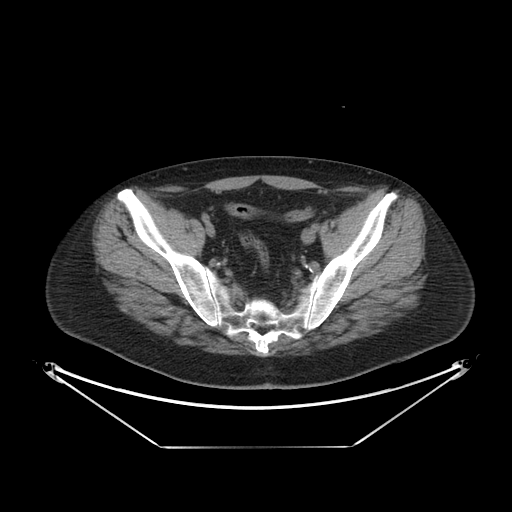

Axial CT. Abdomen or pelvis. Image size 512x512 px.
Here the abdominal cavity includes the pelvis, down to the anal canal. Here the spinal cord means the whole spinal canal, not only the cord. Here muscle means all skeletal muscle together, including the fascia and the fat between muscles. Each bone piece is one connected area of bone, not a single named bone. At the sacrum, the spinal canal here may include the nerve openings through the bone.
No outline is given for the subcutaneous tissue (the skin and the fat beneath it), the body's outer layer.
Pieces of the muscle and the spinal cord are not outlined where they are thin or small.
{"bones":[{"outer":[[124,188],[132,189],[174,250],[216,274],[236,309],[264,298],[284,313],[350,245],[382,197],[390,191],[398,196],[378,242],[356,265],[329,315],[298,339],[280,334],[263,355],[247,332],[229,337],[195,312],[170,264],[138,236],[116,197]],"hole":[[254,326],[258,326],[259,327],[265,327],[266,326],[270,326],[271,327],[271,328],[270,329],[269,329],[267,331],[266,331],[264,333],[260,333],[254,327]]}],"spinal_cord":[[[234,296],[238,296],[239,297],[242,297],[242,299],[243,300],[243,306],[242,307],[242,308],[241,308],[240,309],[238,309],[237,308],[236,308],[235,307],[235,306],[234,305],[234,301],[233,300],[233,298],[232,297],[233,297]]],"abdominal_cavity":[[[258,180],[278,189],[330,193],[357,201],[322,223],[319,240],[326,264],[301,288],[297,299],[281,303],[279,307],[264,297],[249,299],[236,287],[221,281],[214,271],[196,258],[205,242],[206,234],[201,222],[176,208],[166,207],[157,198],[237,190]]],"torso":[[[232,155],[296,155],[333,159],[377,169],[411,185],[443,219],[471,269],[476,301],[467,327],[452,341],[403,362],[343,381],[295,389],[223,389],[186,383],[131,363],[61,331],[46,308],[44,281],[56,244],[79,212],[104,190],[130,176],[184,161]]],"muscle":[[[262,174],[297,177],[325,186],[389,184],[413,196],[421,206],[426,225],[427,277],[421,303],[407,316],[372,335],[308,355],[281,357],[211,353],[195,346],[179,345],[111,304],[97,275],[92,228],[104,204],[116,193],[139,239],[169,264],[183,297],[210,327],[224,328],[229,338],[247,333],[254,348],[266,356],[269,344],[280,335],[298,340],[304,332],[320,326],[343,296],[357,265],[379,242],[387,212],[399,196],[395,191],[387,191],[381,197],[349,245],[326,261],[321,227],[326,219],[355,205],[358,201],[354,197],[278,188],[260,179],[245,187],[220,192],[158,195],[156,198],[166,208],[200,222],[204,242],[195,257],[171,246],[147,207],[129,187],[177,186]],[[224,284],[227,285],[231,288],[236,288],[241,293],[245,295],[245,296],[248,299],[247,299],[244,302],[244,303],[244,300],[242,296],[239,296],[238,295],[234,295],[232,296],[229,290],[229,288],[226,285]]]}